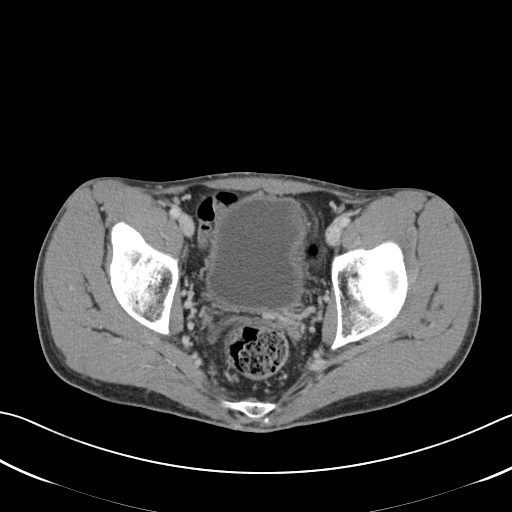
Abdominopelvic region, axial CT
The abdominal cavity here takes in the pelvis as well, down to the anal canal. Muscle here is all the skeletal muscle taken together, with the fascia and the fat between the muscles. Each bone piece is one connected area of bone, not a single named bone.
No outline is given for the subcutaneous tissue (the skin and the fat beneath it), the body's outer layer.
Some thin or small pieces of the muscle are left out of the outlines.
{"bones":[[[386,240],[396,242],[400,246],[403,253],[403,260],[407,275],[407,292],[405,300],[397,316],[386,326],[357,341],[349,342],[331,350],[330,347],[334,340],[337,327],[337,308],[331,279],[332,259],[334,255],[335,257],[338,257],[353,249],[369,249]],[[119,221],[124,221],[137,230],[154,248],[170,254],[179,260],[178,264],[180,267],[180,274],[170,309],[169,331],[167,334],[162,334],[152,330],[134,319],[124,310],[113,293],[110,284],[110,277],[108,274],[108,268],[112,257],[110,229],[115,223]],[[221,400],[226,400],[227,401],[249,400],[250,401],[273,402],[277,404],[277,408],[272,410],[268,414],[268,416],[269,417],[269,422],[267,424],[263,421],[263,418],[262,417],[254,419],[241,413],[239,411],[232,410],[229,408],[223,407],[220,403]]],"muscle":[{"outer":[[235,177],[293,180],[372,198],[410,189],[424,191],[444,202],[463,234],[474,284],[471,318],[453,357],[418,385],[349,396],[278,425],[229,423],[188,409],[154,391],[92,379],[68,367],[50,333],[42,274],[48,245],[72,196],[100,179],[164,188]],"hole":[[193,186],[327,192],[360,213],[335,257],[386,240],[403,253],[397,316],[331,350],[332,288],[320,341],[265,401],[277,404],[267,424],[221,405],[240,400],[203,368],[178,285],[162,334],[129,315],[110,284],[119,221],[181,265],[182,230],[153,195]]}],"abdominal_cavity":[[[193,186],[246,191],[261,188],[272,194],[321,191],[355,205],[360,213],[345,226],[334,249],[331,291],[320,341],[297,379],[278,397],[265,401],[255,397],[238,399],[219,386],[203,368],[185,327],[178,285],[185,256],[184,237],[153,195],[178,194]]],"torso":[[[231,170],[291,173],[366,189],[417,187],[445,199],[460,215],[470,234],[482,287],[476,336],[458,370],[438,388],[388,408],[264,433],[237,431],[112,403],[59,378],[49,367],[40,346],[33,278],[43,239],[68,195],[84,181],[98,176],[172,180]]]}